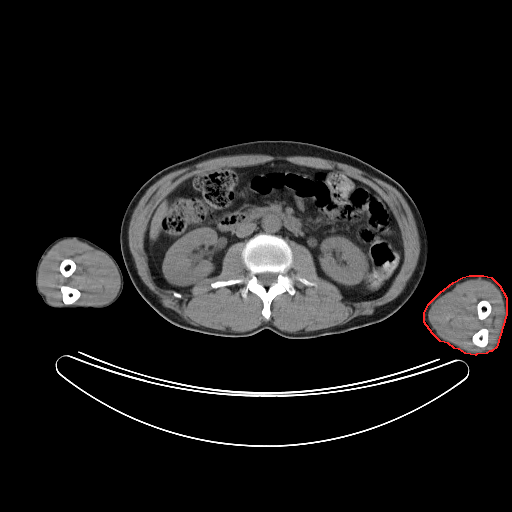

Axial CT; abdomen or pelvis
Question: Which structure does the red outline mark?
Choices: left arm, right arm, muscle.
Answer: red: left arm.
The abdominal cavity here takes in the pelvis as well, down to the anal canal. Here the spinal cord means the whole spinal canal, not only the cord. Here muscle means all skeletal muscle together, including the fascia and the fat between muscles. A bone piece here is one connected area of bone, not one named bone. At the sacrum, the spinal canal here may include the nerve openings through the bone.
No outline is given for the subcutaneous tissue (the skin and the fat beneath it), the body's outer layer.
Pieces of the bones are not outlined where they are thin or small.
The left arm is outlined by 469 275; 483 275; 491 277; 499 285; 506 297; 506 314; 496 347; 491 351; 489 351; 486 353; 476 354; 475 355; 465 353; 459 349; 454 348; 448 343; 440 341; 432 333; 424 322; 424 312; 429 303; 440 292; 453 282; 462 277. The abdominal cavity is outlined by 276 160; 340 172; 368 185; 383 197; 397 222; 403 248; 401 265; 387 289; 373 299; 346 300; 333 283; 318 275; 307 247; 265 232; 231 244; 222 258; 220 272; 198 279; 190 293; 158 285; 144 245; 148 222; 158 204; 194 175. The torso is outlined by 260 139; 304 141; 345 152; 389 175; 410 195; 425 227; 427 261; 415 291; 396 312; 374 324; 310 339; 290 339; 269 329; 249 336; 225 337; 172 324; 138 293; 126 270; 119 241; 124 212; 137 190; 152 175; 173 163; 217 147. The spinal cord is outlined by 265 272; 270 272; 271 273; 275 273; 276 274; 276 280; 274 282; 273 282; 270 285; 269 285; 268 286; 265 286; 264 285; 261 284; 259 282; 259 281; 258 280; 258 278; 257 277; 257 275; 258 274; 260 274; 261 273; 264 273. The bones appear in 6 outlined pieces: piece 1: 259 233; 280 236; 292 251; 292 263; 287 274; 293 279; 295 292; 291 295; 285 291; 271 301; 268 320; 261 313; 263 302; 259 296; 249 290; 245 297; 242 296; 244 282; 211 287; 214 281; 245 281; 250 277; 241 249; 244 243 with a hole at 265 272; 270 272; 271 273; 275 273; 276 274; 276 280; 274 282; 273 282; 270 285; 269 285; 268 286; 265 286; 264 285; 261 284; 259 282; 259 281; 258 280; 258 278; 257 277; 257 275; 258 274; 260 274; 261 273; 264 273; piece 2: 62 285; 67 285; 68 286; 70 286; 71 287; 73 287; 74 288; 76 288; 80 292; 80 296; 72 304; 65 304; 63 302; 63 300; 62 299; 62 293; 61 292; 61 290; 60 289; 60 287; piece 3: 481 328; 486 328; 488 330; 488 337; 487 338; 487 344; 484 347; 480 347; 479 346; 477 346; 476 345; 475 345; 473 343; 473 342; 472 341; 472 336; 473 335; 473 334; 475 332; 476 332; 478 330; 479 330; piece 4: 66 258; 70 258; 75 263; 75 270; 73 272; 73 273; 70 276; 69 276; 68 277; 65 277; 61 273; 61 272; 60 271; 60 270; 59 269; 59 267; 60 266; 60 264; 61 263; 61 262; 64 259; 65 259; piece 5: 481 300; 486 300; 487 301; 488 301; 489 302; 489 303; 491 306; 491 311; 490 312; 490 313; 484 319; 483 319; 482 320; 481 320; 480 319; 479 319; 479 318; 478 317; 478 315; 477 314; 477 304; 478 303; 478 302; piece 6: 296 276; 299 276; 300 277; 302 277; 303 278; 305 278; 307 280; 308 280; 309 281; 311 281; 312 282; 314 282; 316 284; 316 285; 315 286; 310 286; 309 285; 306 285; 305 284; 304 284; 302 282; 299 281; 296 278. The right arm is outlined by 70 235; 80 236; 95 243; 108 252; 117 262; 123 276; 123 289; 119 297; 113 303; 106 307; 102 308; 93 308; 92 307; 57 308; 52 307; 46 304; 38 293; 35 283; 35 272; 40 256; 45 248; 54 240; 62 236. The muscle appears in 3 outlined pieces: piece 1: 240 154; 265 154; 266 155; 271 155; 272 156; 310 156; 311 157; 318 157; 323 159; 327 159; 332 161; 340 162; 355 167; 362 171; 365 174; 377 178; 394 187; 401 194; 410 208; 417 228; 417 231; 419 236; 419 243; 420 244; 419 256; 418 257; 417 264; 414 271; 412 273; 410 278; 407 281; 402 291; 391 301; 377 307; 373 313; 371 314; 356 316; 343 324; 340 324; 327 328; 322 328; 317 330; 305 331; 301 333; 288 332; 287 331; 281 330; 276 327; 270 321; 268 322; 263 322; 257 327; 247 331; 234 331; 233 332; 228 332; 227 331; 215 331; 214 330; 209 330; 202 327; 196 327; 194 326; 193 324; 191 324; 189 322; 186 321; 174 310; 165 307; 161 303; 159 298; 141 279; 140 276; 138 274; 134 259; 129 248; 128 229; 129 228; 129 223; 132 214; 134 211; 134 209; 146 191; 155 182; 163 176; 176 170; 185 168; 189 165; 195 165; 197 163; 199 163; 208 159; 220 157; 221 156; 239 155; inner edges: 276 160; 340 172; 383 197; 397 222; 403 248; 401 265; 387 289; 373 299; 344 299; 333 283; 318 275; 308 248; 292 240; 288 242; 292 263; 287 274; 295 292; 285 291; 271 301; 268 320; 261 313; 259 296; 249 290; 242 296; 244 282; 211 287; 214 281; 250 277; 242 260; 243 242; 231 244; 220 272; 198 279; 190 293; 179 298; 174 290; 158 285; 144 245; 158 204; 194 175, then 296 276; 299 276; 300 277; 302 277; 303 278; 305 278; 307 280; 308 280; 309 281; 311 281; 312 282; 314 282; 316 284; 316 285; 315 286; 310 286; 309 285; 306 285; 305 284; 304 284; 302 282; 299 281; 296 278; piece 2: 64 239; 77 239; 86 243; 105 254; 114 264; 118 272; 120 284; 116 295; 109 302; 102 305; 73 304; 81 296; 81 292; 76 287; 67 284; 62 284; 59 287; 61 299; 64 304; 53 304; 47 300; 38 284; 39 268; 49 250 with a hole at 66 258; 70 258; 75 263; 75 270; 73 272; 73 273; 70 276; 69 276; 68 277; 65 277; 61 273; 61 272; 60 271; 60 270; 59 269; 59 267; 60 266; 60 264; 61 263; 61 262; 64 259; 65 259; piece 3: 470 279; 483 279; 491 282; 499 291; 503 302; 503 311; 500 323; 498 326; 498 330; 496 334; 495 340; 490 346; 480 350; 467 350; 454 344; 450 341; 442 338; 432 326; 428 318; 428 314; 431 307; 440 297; 451 291; 456 285; inner edges: 481 328; 486 328; 488 330; 488 337; 487 338; 487 344; 484 347; 480 347; 479 346; 477 346; 476 345; 475 345; 473 343; 473 342; 472 341; 472 336; 473 335; 473 334; 475 332; 476 332; 478 330; 479 330, then 481 300; 486 300; 487 301; 488 301; 489 302; 489 303; 491 306; 491 311; 490 312; 490 313; 484 319; 483 319; 482 320; 481 320; 480 319; 479 319; 479 318; 478 317; 478 315; 477 314; 477 304; 478 303; 478 302.